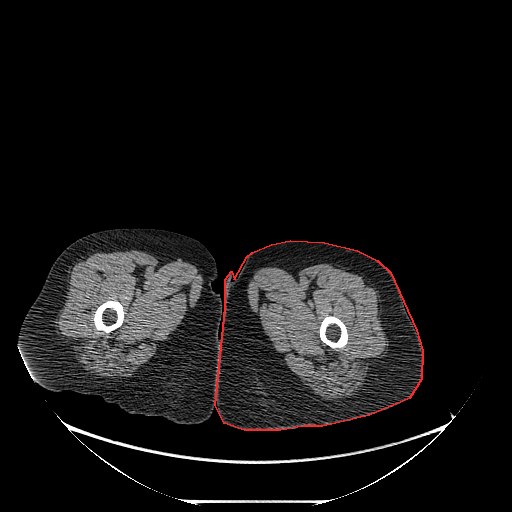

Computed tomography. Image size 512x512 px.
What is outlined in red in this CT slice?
red: left leg.
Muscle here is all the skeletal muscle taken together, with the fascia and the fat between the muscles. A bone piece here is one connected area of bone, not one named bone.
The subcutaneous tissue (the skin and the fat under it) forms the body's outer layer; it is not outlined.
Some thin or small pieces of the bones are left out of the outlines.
{"left_leg":[[[290,240],[324,242],[357,250],[377,260],[390,272],[416,330],[422,350],[421,379],[409,398],[369,415],[322,426],[303,426],[280,430],[244,430],[224,423],[215,405],[225,307],[225,279],[231,271],[234,279],[247,256],[252,252],[271,244]]],"bones":[[[107,300],[117,300],[119,301],[123,306],[123,310],[124,311],[124,320],[122,324],[119,327],[116,328],[109,333],[106,333],[101,330],[97,330],[95,327],[95,325],[93,321],[93,316],[94,315],[94,313],[97,307],[100,304],[103,303]],[[327,315],[333,315],[339,318],[345,324],[346,326],[347,332],[348,333],[348,339],[347,340],[347,343],[343,347],[341,348],[340,347],[339,348],[332,348],[330,347],[324,342],[323,342],[321,340],[319,336],[319,327],[320,326],[320,324],[324,317]]],"muscle":[{"outer":[[321,261],[359,269],[373,279],[381,296],[379,317],[381,325],[389,340],[388,351],[370,364],[360,390],[350,397],[336,400],[327,400],[310,391],[282,363],[264,333],[258,317],[251,310],[247,293],[250,280],[255,271],[260,268],[282,269],[302,262]],"hole":[[327,315],[333,315],[339,318],[345,324],[346,326],[347,332],[348,333],[348,339],[347,340],[347,343],[343,347],[341,348],[340,347],[339,348],[332,348],[330,347],[324,342],[323,342],[321,340],[319,336],[319,327],[320,326],[320,324],[324,317]]},{"outer":[[116,249],[153,251],[166,254],[174,259],[180,258],[194,265],[203,279],[197,303],[185,316],[183,322],[167,340],[161,343],[159,350],[134,376],[124,380],[98,378],[82,368],[76,361],[72,348],[57,333],[55,320],[66,298],[71,266],[86,254]],"hole":[[107,300],[117,300],[119,301],[123,306],[123,310],[124,311],[124,320],[122,324],[119,327],[116,328],[109,333],[106,333],[101,330],[97,330],[95,327],[95,325],[93,321],[93,316],[94,315],[94,313],[97,307],[100,304],[103,303]]}],"right_leg":[[[115,228],[155,228],[180,233],[202,243],[216,261],[218,277],[212,286],[220,294],[224,307],[215,404],[210,417],[201,423],[180,424],[161,416],[128,413],[98,395],[48,390],[34,384],[29,377],[18,345],[18,334],[51,266],[60,253],[77,239]]]}